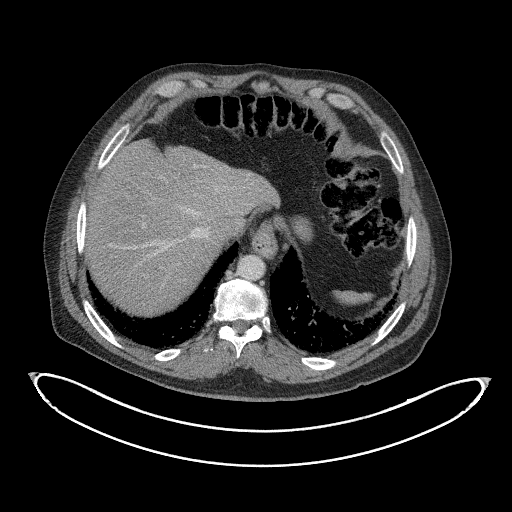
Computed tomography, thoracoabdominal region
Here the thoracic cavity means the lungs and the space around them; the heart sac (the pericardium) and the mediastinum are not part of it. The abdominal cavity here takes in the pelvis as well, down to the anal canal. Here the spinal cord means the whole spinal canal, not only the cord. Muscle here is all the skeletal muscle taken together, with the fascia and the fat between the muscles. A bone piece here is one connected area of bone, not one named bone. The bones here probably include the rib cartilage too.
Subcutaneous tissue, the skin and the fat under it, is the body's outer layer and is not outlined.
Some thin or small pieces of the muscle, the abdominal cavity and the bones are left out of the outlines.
Outlines (x, y in pixels):
torso: 253 402; 336 394; 377 381; 412 364; 435 331; 441 315; 452 262; 447 224; 409 129; 390 102; 366 81; 329 69; 265 62; 183 62; 162 66; 137 79; 106 109; 74 150; 55 187; 42 249; 52 327; 62 340; 160 386; 203 397
bones 1: 236 358; 239 357; 243 346; 247 342; 260 338; 264 331; 268 333; 272 331; 270 317; 267 313; 269 300; 264 290; 239 278; 219 283; 213 300; 214 311; 206 325; 209 326; 217 322; 221 324; 218 329; 218 337; 229 340; 235 346; inner edge: 238 334; 241 334; 242 333; 243 333; 250 326; 250 322; 249 321; 246 321; 245 320; 240 320; 239 319; 238 320; 235 320; 234 321; 233 321; 231 323; 231 326; 237 332; 237 333
bones 2: 100 170; 109 161; 109 160; 112 157; 112 156; 115 153; 115 152; 121 145; 121 144; 123 143; 124 141; 125 141; 131 129; 130 128; 131 127; 130 123; 127 122; 121 125; 105 146; 103 151; 100 155; 100 157; 97 163; 97 168
bones 3: 119 348; 124 348; 124 347; 118 341; 117 337; 112 332; 112 331; 99 316; 93 306; 85 298; 83 298; 82 299; 82 305; 83 306; 83 308; 87 316; 89 318; 90 321; 92 323; 94 327; 104 338; 105 338; 109 342
bones 4: 163 97; 172 97; 178 94; 188 84; 190 84; 194 87; 197 87; 198 88; 206 88; 207 87; 207 84; 205 82; 198 79; 192 79; 188 82; 186 81; 183 81; 182 80; 168 80; 160 84; 154 90; 154 93; 155 94; 157 94
bones 5: 343 109; 347 109; 348 108; 350 108; 354 105; 353 101; 348 96; 344 95; 343 94; 340 94; 339 93; 327 92; 323 87; 315 87; 314 88; 310 89; 308 91; 308 94; 311 97; 317 97; 318 98; 324 97; 329 103
bones 6: 371 346; 376 344; 380 340; 381 340; 397 323; 401 317; 403 313; 403 311; 405 308; 405 305; 406 304; 406 302; 405 301; 402 301; 393 310; 393 311; 390 314; 384 323; 377 330; 376 333; 373 336; 372 340; 370 342; 370 345
bones 7: 398 174; 402 174; 404 172; 404 169; 403 168; 403 165; 401 161; 400 155; 395 145; 395 143; 393 141; 391 137; 386 131; 382 130; 379 133; 378 137; 382 142; 382 144; 384 147; 384 149; 388 157; 390 159; 394 168; 396 170
bones 8: 407 267; 409 267; 411 264; 411 262; 415 252; 415 246; 416 245; 416 225; 415 224; 414 218; 412 215; 410 215; 408 218; 408 224; 407 225; 407 234; 406 235; 406 244; 405 245; 405 253; 406 254; 406 262; 407 263
bones 9: 80 254; 81 254; 83 251; 83 245; 84 244; 84 236; 85 235; 85 210; 86 209; 86 204; 84 201; 81 201; 80 203; 80 205; 78 209; 78 212; 77 213; 77 222; 76 223; 76 238; 77 239; 77 248; 78 249; 78 252
bones 10: 320 370; 324 370; 325 369; 328 369; 329 368; 331 368; 333 367; 336 364; 337 362; 335 359; 331 359; 330 358; 324 358; 323 357; 317 357; 316 356; 302 356; 301 357; 301 361; 302 363; 303 363; 305 365; 313 369; 319 369
bones 11: 162 361; 164 361; 165 360; 168 360; 169 359; 172 359; 174 358; 181 352; 181 349; 179 347; 175 347; 174 348; 169 348; 168 349; 164 349; 163 350; 161 350; 155 353; 153 355; 153 358; 154 359; 156 359; 157 360; 161 360
mediastinum 1: 268 296; 269 277; 273 271; 278 267; 285 252; 289 247; 289 244; 279 226; 273 219; 270 213; 268 211; 261 211; 254 219; 246 236; 239 244; 237 250; 237 255; 229 264; 226 271; 224 272; 220 282; 235 277; 246 279; 262 287
mediastinum 2: 379 150; 383 150; 383 147; 381 144; 381 142; 377 137; 377 135; 375 131; 360 114; 358 113; 354 113; 348 110; 343 110; 337 107; 334 107; 334 111; 345 126; 350 136; 353 139; 356 141; 362 142; 365 144; 373 146
mediastinum 3: 142 120; 145 120; 147 118; 150 117; 152 115; 152 114; 154 112; 156 108; 163 101; 165 100; 168 100; 168 99; 164 99; 160 102; 158 103; 156 103; 153 106; 153 107; 151 109; 149 113; 145 117; 144 117; 142 119
abdominal cavity: 346 321; 381 311; 397 295; 408 205; 384 150; 353 140; 335 106; 290 94; 264 74; 225 91; 184 93; 141 121; 101 170; 87 205; 83 255; 86 275; 114 310; 134 319; 175 310; 238 245; 256 215; 268 210; 298 256; 310 299
muscle: 276 385; 294 385; 295 384; 304 384; 310 382; 322 381; 335 377; 352 369; 357 368; 371 361; 391 348; 404 342; 412 336; 421 327; 426 319; 429 311; 430 301; 432 297; 436 278; 435 257; 434 256; 434 250; 431 242; 431 236; 428 223; 423 212; 423 207; 420 195; 415 186; 414 177; 409 159; 402 144; 389 125; 371 108; 357 92; 345 85; 319 79; 296 79; 295 78; 290 78; 271 73; 264 70; 252 70; 234 75; 210 75; 194 71; 180 71; 166 74; 153 81; 114 121; 112 125; 102 137; 98 146; 94 150; 93 154; 90 158; 89 163; 83 172; 80 182; 74 192; 74 195; 71 199; 70 205; 67 211; 66 223; 62 231; 61 241; 60 242; 60 249; 59 250; 60 258; 58 267; 58 280; 63 303; 71 316; 102 346; 114 354; 116 354; 132 363; 137 364; 150 370; 184 379; 202 379; 203 378; 213 378; 223 375; 227 375; 230 374; 233 371; 242 368; 243 369; 250 369; 252 370; 265 383; 275 384 with a hole at 320 370; 333 367; 336 355; 374 332; 370 345; 376 344; 405 308; 405 301; 393 306; 403 262; 409 267; 415 252; 416 225; 412 215; 407 217; 399 177; 404 169; 395 143; 349 111; 354 103; 348 96; 323 87; 297 96; 260 74; 225 91; 179 95; 188 84; 206 88; 205 82; 163 82; 154 93; 170 98; 156 103; 129 138; 128 122; 115 132; 98 160; 101 171; 88 204; 81 201; 78 209; 77 248; 94 300; 93 306; 82 299; 87 316; 112 344; 124 348; 119 335; 155 349; 153 358; 162 361; 177 356; 179 344; 213 323; 221 324; 218 337; 235 346; 236 358; 247 342; 273 326; 308 354; 302 363
thoracic cavity 1: 331 358; 351 349; 375 332; 392 311; 396 295; 388 302; 381 312; 359 322; 346 322; 330 318; 323 314; 309 299; 302 279; 299 261; 291 248; 285 254; 279 267; 270 277; 268 313; 271 317; 272 326; 282 337; 305 351; 308 355
thoracic cavity 2: 156 351; 177 346; 205 328; 213 311; 212 300; 215 288; 228 264; 236 255; 237 244; 234 244; 218 259; 198 289; 184 304; 170 314; 159 318; 134 320; 114 311; 103 299; 87 275; 94 307; 113 332; 135 345; 155 349
spinal cord: 238 334; 241 334; 242 333; 243 333; 250 326; 250 322; 249 321; 246 321; 245 320; 240 320; 239 319; 238 320; 235 320; 234 321; 233 321; 231 323; 231 326; 237 332; 237 333